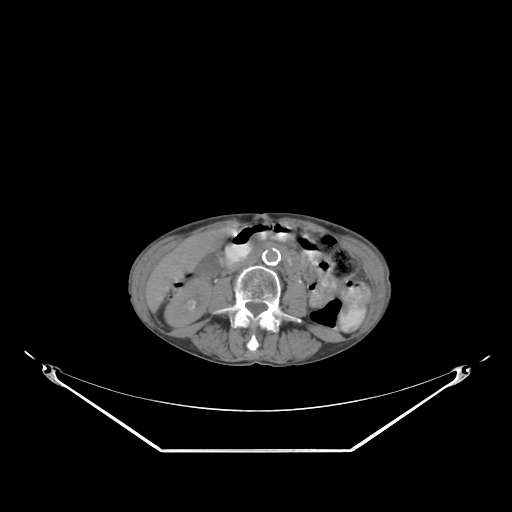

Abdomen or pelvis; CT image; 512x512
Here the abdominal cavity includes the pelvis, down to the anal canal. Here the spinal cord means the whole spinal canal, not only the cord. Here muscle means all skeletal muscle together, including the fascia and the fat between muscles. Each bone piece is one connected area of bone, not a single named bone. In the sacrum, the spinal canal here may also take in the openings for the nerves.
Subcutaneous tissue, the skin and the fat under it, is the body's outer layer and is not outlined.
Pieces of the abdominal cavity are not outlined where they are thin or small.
{"abdominal_cavity":[[[258,219],[330,234],[356,260],[372,289],[357,330],[346,336],[306,321],[307,294],[300,277],[290,274],[282,293],[278,273],[260,263],[244,267],[233,289],[228,276],[215,280],[208,317],[178,328],[164,328],[157,322],[144,287],[160,259],[194,234]]],"torso":[[[270,210],[299,212],[336,222],[365,235],[383,251],[391,269],[392,297],[389,310],[369,335],[343,352],[305,365],[271,367],[255,363],[246,366],[225,366],[185,353],[144,327],[130,306],[126,285],[130,266],[146,244],[160,234],[196,219],[228,212]]],"muscle":[{"outer":[[261,214],[264,214],[271,218],[291,217],[292,218],[297,218],[298,219],[302,219],[303,220],[307,220],[308,221],[313,222],[335,233],[343,234],[344,235],[347,235],[348,236],[353,237],[363,242],[377,253],[382,260],[385,267],[386,301],[385,302],[384,308],[379,318],[369,330],[365,333],[363,333],[361,335],[347,341],[338,342],[337,343],[328,343],[310,357],[308,357],[300,361],[291,361],[290,360],[285,363],[276,363],[275,362],[271,362],[270,361],[260,359],[259,358],[253,358],[252,359],[247,359],[246,360],[241,360],[240,361],[225,361],[224,360],[218,359],[216,357],[206,355],[200,352],[186,339],[176,338],[175,337],[168,336],[161,333],[153,327],[150,326],[142,319],[137,312],[132,301],[132,295],[131,294],[131,278],[132,277],[133,270],[136,263],[140,257],[153,244],[165,237],[167,237],[171,235],[175,235],[176,234],[183,233],[191,230],[194,230],[199,227],[201,227],[217,221],[230,219],[231,218],[236,218],[241,221],[246,221],[253,218],[257,215],[260,215]],"holes":[[[258,219],[330,234],[356,260],[372,289],[357,330],[346,336],[306,321],[296,274],[279,307],[301,321],[284,319],[277,332],[232,327],[226,313],[213,313],[235,302],[228,276],[213,284],[208,317],[178,328],[157,322],[144,287],[160,259],[194,234]],[[252,334],[254,334],[255,335],[255,336],[256,337],[256,339],[257,340],[257,341],[259,344],[258,347],[254,351],[251,351],[250,350],[249,350],[247,348],[247,347],[246,346],[246,344],[247,343],[247,342],[250,339],[250,338],[251,337],[251,335]]]}],"spinal_cord":[[[249,302],[254,302],[255,303],[263,303],[264,304],[265,304],[267,306],[267,307],[266,308],[266,309],[265,309],[263,311],[262,311],[261,312],[260,312],[258,314],[257,314],[256,315],[254,315],[247,308],[247,307],[246,306],[246,303],[248,303]]],"bones":[{"outer":[[257,264],[266,266],[277,273],[281,283],[279,307],[285,313],[301,319],[300,322],[284,319],[280,324],[279,330],[273,332],[264,328],[262,329],[257,325],[232,327],[226,313],[213,313],[215,310],[228,307],[235,302],[234,281],[237,275],[244,268]],"hole":[[249,302],[254,302],[255,303],[263,303],[264,304],[265,304],[267,306],[267,307],[266,308],[266,309],[265,309],[263,311],[262,311],[261,312],[260,312],[258,314],[257,314],[256,315],[254,315],[247,308],[247,307],[246,306],[246,303],[248,303]]},[[252,334],[254,334],[255,335],[255,336],[256,337],[256,339],[257,340],[257,341],[259,344],[258,347],[254,351],[251,351],[250,350],[249,350],[247,348],[247,347],[246,346],[246,344],[247,343],[247,342],[250,339],[250,338],[251,337],[251,335]]]}